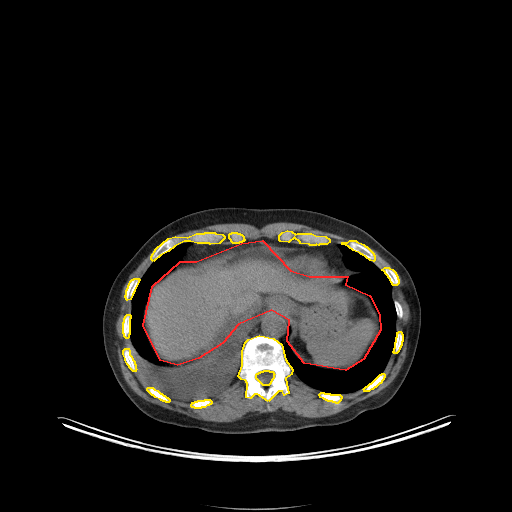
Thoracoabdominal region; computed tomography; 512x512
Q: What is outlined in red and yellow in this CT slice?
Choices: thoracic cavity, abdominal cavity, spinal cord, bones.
A: red: abdominal cavity; yellow: bones.
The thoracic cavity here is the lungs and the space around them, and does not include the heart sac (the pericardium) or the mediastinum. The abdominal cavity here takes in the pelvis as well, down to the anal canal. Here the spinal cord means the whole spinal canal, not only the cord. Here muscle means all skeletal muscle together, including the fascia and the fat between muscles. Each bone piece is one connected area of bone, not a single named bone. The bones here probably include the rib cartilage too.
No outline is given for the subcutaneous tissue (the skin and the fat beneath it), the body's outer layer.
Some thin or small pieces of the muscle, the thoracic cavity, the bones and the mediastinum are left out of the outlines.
abdominal cavity: [[262,240],[290,270],[309,276],[347,276],[345,284],[369,295],[379,314],[380,330],[363,359],[345,370],[304,363],[287,341],[289,320],[271,310],[238,324],[222,343],[198,358],[177,365],[160,360],[143,325],[152,286],[180,261],[196,261],[241,243]]
bones 1: [[259,335],[273,338],[281,344],[285,359],[292,369],[291,374],[285,378],[288,393],[284,395],[282,391],[278,391],[268,401],[257,394],[254,394],[250,398],[246,397],[247,383],[245,380],[241,379],[238,376],[242,365],[242,351],[245,342],[248,339]] with a hole at [[264,370],[268,370],[269,371],[272,371],[273,372],[273,373],[274,374],[273,375],[273,378],[271,380],[271,381],[270,382],[270,383],[268,385],[263,385],[256,378],[256,374],[257,373],[258,373],[259,372],[260,372],[261,371],[263,371]]
bones 2: [[205,232],[214,232],[215,233],[222,234],[224,236],[224,238],[219,243],[210,244],[209,243],[197,243],[190,241],[184,241],[174,246],[168,251],[160,255],[153,261],[151,259],[151,256],[156,248],[168,238],[175,236],[187,237],[196,233],[204,233]]
bones 3: [[287,230],[291,231],[295,234],[297,233],[311,233],[315,235],[325,236],[329,239],[329,242],[326,244],[319,244],[318,245],[316,244],[315,245],[310,245],[309,244],[300,243],[300,242],[294,237],[288,242],[280,241],[279,240],[279,235],[282,232]]
bones 4: [[350,240],[355,240],[356,241],[363,244],[365,246],[366,246],[373,253],[373,254],[374,255],[374,260],[373,261],[370,260],[362,254],[361,254],[360,253],[353,250],[345,244],[343,244],[342,243],[341,243],[342,243],[343,242],[347,242]]
bones 5: [[134,278],[138,278],[139,279],[139,280],[138,281],[138,282],[134,289],[134,291],[133,292],[133,293],[132,294],[130,299],[127,300],[125,297],[125,295],[126,294],[126,290],[128,287],[128,285],[129,284],[130,281],[132,279],[133,279]]
bones 6: [[321,392],[323,392],[324,393],[329,393],[330,394],[339,394],[341,396],[341,398],[340,399],[340,400],[337,403],[336,403],[335,402],[333,402],[332,401],[328,401],[327,400],[326,400],[325,399],[324,399],[323,398],[320,397],[319,394]]
bones 7: [[385,267],[388,267],[389,268],[392,269],[395,272],[395,273],[397,276],[397,278],[398,279],[398,283],[396,285],[393,285],[392,284],[392,283],[391,282],[390,279],[388,277],[388,276],[385,273],[385,272],[383,270],[382,270],[382,269]]
bones 8: [[125,348],[128,348],[129,350],[129,354],[131,356],[132,359],[134,361],[134,363],[135,364],[135,368],[136,369],[135,371],[133,371],[129,367],[129,366],[127,364],[125,360],[125,358],[123,354],[123,350]]
bones 9: [[382,373],[383,373],[384,374],[384,377],[383,378],[383,379],[381,381],[381,382],[380,383],[379,383],[375,387],[374,387],[372,389],[371,389],[368,391],[364,391],[364,390],[363,389],[366,386],[367,386],[370,383],[371,383],[380,374],[381,374]]
bones 10: [[148,387],[152,387],[154,389],[157,390],[160,393],[161,393],[163,395],[164,395],[166,397],[167,397],[169,399],[169,401],[168,402],[166,402],[165,401],[163,401],[162,400],[161,400],[160,399],[155,397],[153,395],[152,395],[147,390],[147,388]]
bones 11: [[127,314],[129,314],[130,315],[130,318],[129,319],[129,334],[128,335],[128,337],[127,338],[126,338],[124,336],[124,334],[123,333],[123,322],[124,321],[124,318],[125,317],[125,316]]
bones 12: [[205,399],[209,399],[211,401],[211,403],[210,404],[209,404],[208,405],[207,405],[204,407],[201,407],[200,408],[195,408],[194,407],[192,407],[191,406],[191,404],[192,403],[192,402],[194,402],[195,401],[197,401],[198,400],[204,400]]
bones 13: [[232,232],[236,232],[237,233],[239,233],[240,234],[241,234],[243,236],[243,238],[244,239],[244,240],[243,241],[242,241],[241,242],[239,242],[238,243],[233,243],[231,241],[231,240],[229,238],[229,234],[230,233],[231,233]]
bones 14: [[399,331],[400,331],[402,334],[402,341],[401,342],[401,345],[400,346],[400,347],[399,348],[398,351],[396,353],[394,353],[393,352],[393,351],[394,350],[394,348],[395,347],[395,342],[396,341],[396,337],[397,336],[397,332],[398,332]]
mediastinum 1: [[271,311],[276,311],[282,314],[289,322],[288,324],[288,327],[289,328],[288,334],[286,338],[286,341],[283,345],[282,345],[277,339],[267,335],[262,335],[261,334],[254,335],[246,340],[246,334],[248,330],[250,329],[250,327],[254,321],[258,317]]
mediastinum 2: [[260,238],[278,240],[284,243],[299,243],[310,246],[336,243],[338,244],[338,248],[342,254],[344,265],[353,272],[345,276],[334,275],[333,274],[336,270],[336,266],[328,254],[322,249],[316,247],[285,246],[273,242],[265,243],[262,239],[242,242]]
mediastinum 3: [[192,243],[196,243],[197,244],[209,244],[210,245],[215,245],[220,243],[223,244],[231,244],[232,243],[233,244],[237,244],[229,246],[224,249],[221,249],[219,251],[206,255],[196,260],[192,260],[191,261],[181,261],[182,258],[186,253],[187,247]]
spinal cord: [[264,370],[268,370],[269,371],[272,371],[273,372],[273,373],[274,374],[273,375],[273,378],[271,380],[271,381],[270,382],[270,383],[268,385],[263,385],[256,378],[256,374],[257,373],[258,373],[259,372],[260,372],[261,371],[263,371]]
thoracic cavity 1: [[184,242],[191,243],[184,255],[151,286],[143,306],[143,332],[155,356],[171,366],[198,359],[222,344],[235,327],[256,318],[245,334],[241,365],[233,381],[211,397],[194,401],[172,399],[149,386],[139,374],[129,349],[131,298],[140,279],[156,259]]
thoracic cavity 2: [[339,244],[362,255],[384,272],[392,285],[397,317],[394,347],[383,371],[364,387],[340,394],[321,391],[300,379],[287,361],[283,347],[287,342],[295,357],[308,366],[345,371],[361,362],[377,343],[380,314],[366,291],[344,282],[354,272],[345,265]]
pericardium: [[266,243],[273,243],[274,244],[278,244],[285,247],[316,248],[317,249],[322,250],[327,254],[335,266],[335,270],[333,272],[332,275],[331,274],[317,274],[316,275],[309,275],[308,274],[302,274],[301,273],[296,272],[287,267]]
torso: [[217,207],[298,208],[327,214],[365,230],[404,265],[418,294],[421,307],[421,326],[410,369],[399,389],[387,403],[336,425],[253,433],[216,433],[164,423],[147,416],[132,403],[118,384],[104,349],[102,317],[109,289],[124,265],[161,227],[189,213]]
muscle 1: [[154,249],[150,256],[152,262],[140,278],[134,277],[129,281],[125,290],[124,297],[127,301],[130,300],[130,314],[127,313],[122,322],[123,336],[128,338],[128,347],[122,350],[122,354],[128,367],[133,372],[137,371],[148,386],[146,390],[163,402],[168,403],[171,399],[191,402],[190,406],[195,409],[204,408],[212,403],[210,398],[225,390],[237,376],[246,383],[246,398],[257,395],[268,402],[278,392],[282,392],[284,396],[289,393],[286,378],[293,372],[305,384],[320,391],[320,398],[336,404],[341,400],[341,394],[362,388],[364,392],[372,390],[384,379],[383,372],[388,361],[392,353],[396,354],[399,351],[403,341],[403,334],[400,330],[397,331],[396,322],[397,318],[403,317],[404,311],[400,302],[392,296],[393,286],[399,283],[396,272],[403,282],[403,293],[410,315],[406,356],[401,368],[391,383],[378,393],[323,417],[304,417],[281,409],[271,411],[268,404],[266,407],[269,412],[248,412],[234,421],[217,422],[194,418],[149,402],[135,393],[123,377],[117,355],[116,322],[125,283]]
muscle 2: [[273,222],[298,223],[307,225],[322,231],[337,234],[345,238],[351,239],[340,243],[330,242],[330,239],[325,235],[315,234],[311,232],[295,233],[288,229],[282,231],[278,235],[278,239],[260,237],[256,239],[245,240],[244,236],[241,233],[232,231],[228,234],[228,238],[231,243],[221,242],[225,238],[225,236],[220,232],[214,231],[196,232],[187,236],[175,235],[189,230],[221,223],[246,223],[259,228],[268,223]]
muscle 3: [[367,246],[368,246],[369,247],[374,249],[376,251],[377,251],[378,252],[378,253],[382,257],[383,257],[391,265],[392,268],[391,268],[388,266],[385,266],[384,267],[383,267],[381,269],[374,262],[374,261],[375,260],[375,255],[374,254],[374,253]]